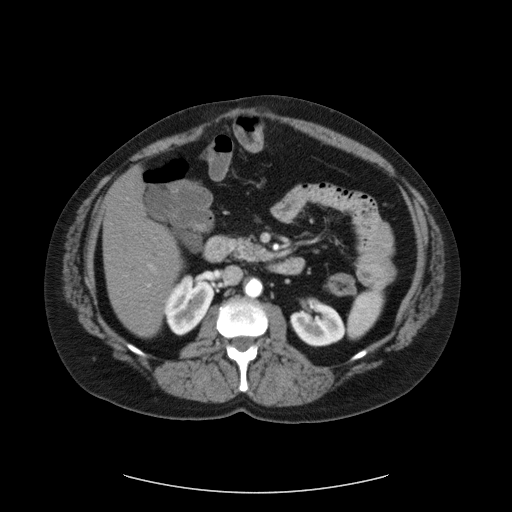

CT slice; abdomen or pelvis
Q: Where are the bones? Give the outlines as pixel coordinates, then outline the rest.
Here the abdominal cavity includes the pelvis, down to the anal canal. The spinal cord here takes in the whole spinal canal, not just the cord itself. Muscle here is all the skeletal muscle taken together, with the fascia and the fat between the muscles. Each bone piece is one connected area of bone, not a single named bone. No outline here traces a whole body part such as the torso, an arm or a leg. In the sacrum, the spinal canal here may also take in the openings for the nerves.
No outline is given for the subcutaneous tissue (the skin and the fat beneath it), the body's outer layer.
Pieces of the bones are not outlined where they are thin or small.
A: Outlined structures:
bones 1: [[237,297],[259,301],[263,305],[268,320],[266,331],[258,338],[259,343],[257,355],[248,363],[246,371],[248,388],[244,392],[240,391],[238,388],[240,383],[238,366],[234,360],[227,356],[225,349],[226,339],[216,329],[216,319],[219,306],[227,300]], around a hole outlined by [[239,336],[249,336],[250,337],[252,337],[253,338],[254,338],[254,343],[253,344],[252,344],[250,346],[249,346],[245,350],[243,350],[242,351],[241,350],[239,350],[238,349],[237,349],[231,344],[231,340],[233,338],[234,338],[235,337],[238,337]]
bones 2: [[126,342],[129,342],[130,343],[131,343],[133,345],[134,345],[136,347],[137,347],[139,349],[140,349],[143,352],[144,352],[146,355],[145,356],[141,356],[140,355],[138,355],[137,354],[136,354],[135,353],[132,352],[126,346],[126,344],[125,343]]
bones 3: [[367,347],[367,352],[366,353],[366,354],[364,356],[363,356],[362,357],[361,357],[358,359],[356,359],[353,361],[350,361],[349,360],[349,359],[353,355],[354,355],[356,353],[357,353],[359,351],[360,351],[362,349],[363,349],[364,348],[366,348]]
muscle: [[237,107],[263,107],[310,121],[371,148],[421,194],[443,242],[442,294],[436,311],[410,343],[377,367],[357,373],[301,405],[265,406],[245,393],[249,363],[257,357],[259,338],[269,325],[263,304],[281,309],[290,345],[313,364],[329,366],[364,357],[368,346],[392,330],[412,282],[417,243],[411,212],[400,185],[375,162],[278,119],[241,112],[207,126],[195,140],[141,160],[116,187],[99,222],[93,258],[102,318],[132,353],[176,360],[180,350],[196,339],[210,308],[219,304],[215,329],[225,339],[226,356],[237,366],[237,388],[241,392],[227,401],[201,402],[171,395],[125,361],[114,358],[112,349],[84,328],[64,292],[67,234],[77,210],[98,182],[145,146]]
spinal cord: [[239,336],[249,336],[250,337],[252,337],[253,338],[254,338],[254,343],[253,344],[252,344],[250,346],[249,346],[245,350],[243,350],[242,351],[241,350],[239,350],[238,349],[237,349],[231,344],[231,340],[233,338],[234,338],[235,337],[238,337]]
abdominal cavity: [[241,113],[278,120],[375,163],[403,193],[416,243],[411,282],[391,330],[348,359],[313,363],[287,341],[288,323],[277,304],[244,296],[213,304],[195,339],[176,359],[143,351],[101,314],[94,258],[101,219],[119,184],[141,161],[195,141],[207,127]]